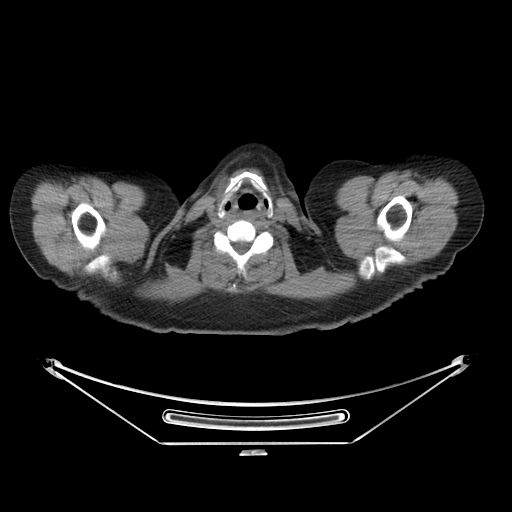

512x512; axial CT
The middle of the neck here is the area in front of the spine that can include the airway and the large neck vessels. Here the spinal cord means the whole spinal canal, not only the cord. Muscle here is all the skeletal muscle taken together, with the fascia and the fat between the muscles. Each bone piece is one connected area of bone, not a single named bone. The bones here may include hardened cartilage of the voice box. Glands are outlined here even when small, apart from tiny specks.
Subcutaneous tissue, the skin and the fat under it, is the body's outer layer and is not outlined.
Outlined structures:
middle of the neck: [[245,178],[247,178],[250,183],[262,196],[266,199],[268,204],[267,207],[267,217],[261,218],[260,219],[259,218],[251,218],[250,219],[245,219],[244,218],[225,219],[223,218],[225,215],[224,205],[229,199],[232,193],[235,192],[240,187],[243,180]]
right arm: [[43,161],[65,161],[79,164],[88,164],[100,170],[105,171],[111,189],[114,194],[118,221],[114,244],[101,259],[90,264],[76,268],[48,271],[33,271],[21,255],[14,241],[9,223],[8,205],[10,194],[12,186],[17,176],[26,167],[34,163]]
bones 1: [[239,219],[244,219],[249,221],[254,225],[258,232],[267,230],[273,236],[273,244],[266,252],[254,254],[248,259],[244,266],[246,270],[245,277],[238,272],[236,262],[232,257],[226,252],[217,251],[213,243],[213,235],[217,230],[224,231],[228,225]]; inner edge: [[237,241],[244,241],[245,242],[251,242],[251,245],[250,246],[250,247],[248,249],[248,250],[247,251],[246,251],[244,253],[242,253],[241,254],[240,253],[238,253],[233,248],[233,247],[232,246],[232,245],[231,244],[231,243],[232,242],[236,242]]
bones 2: [[397,195],[403,195],[411,202],[412,204],[412,215],[411,216],[411,221],[410,222],[410,224],[407,231],[404,234],[403,237],[399,241],[389,241],[386,239],[383,234],[383,232],[381,230],[378,229],[377,225],[376,224],[376,219],[381,209],[393,197]]
bones 3: [[81,202],[88,203],[96,210],[97,210],[97,211],[102,217],[106,227],[105,234],[101,237],[99,244],[92,250],[90,249],[85,249],[78,241],[74,233],[74,230],[73,229],[73,226],[71,221],[71,216],[70,215],[71,211],[79,203]]
bones 4: [[381,245],[388,245],[399,251],[405,257],[405,262],[401,264],[390,265],[383,273],[380,273],[376,271],[371,279],[365,280],[360,277],[358,274],[357,271],[358,270],[358,261],[360,258],[364,255],[370,255],[373,256],[374,255],[375,249]]
bones 5: [[244,171],[248,171],[261,176],[267,187],[267,193],[272,202],[273,211],[270,217],[268,217],[269,204],[267,199],[247,177],[242,180],[239,187],[231,193],[223,205],[223,217],[220,218],[218,216],[218,206],[224,197],[224,191],[229,184],[230,178]]
bones 6: [[101,254],[106,254],[110,256],[111,258],[111,264],[110,266],[112,268],[115,268],[117,270],[117,272],[118,273],[118,275],[116,278],[109,279],[104,277],[102,274],[99,272],[97,272],[96,273],[87,273],[84,271],[84,267],[85,265],[92,259]]
torso: [[339,158],[376,164],[365,203],[384,248],[449,270],[361,321],[280,336],[156,333],[114,321],[34,273],[80,268],[109,252],[119,216],[105,170],[139,167],[182,201],[162,248],[171,262],[210,294],[245,301],[305,272],[319,253],[301,199],[314,173]]
submandibular glands: [[225,173],[226,173],[226,179],[225,180],[225,181],[223,183],[222,183],[220,185],[219,185],[218,186],[217,185],[217,182],[216,181],[216,180],[217,180],[218,179],[218,177],[219,177],[220,176],[221,176],[222,175],[223,175]]
spinal cord: [[237,241],[244,241],[245,242],[251,242],[251,245],[250,246],[250,247],[248,249],[248,250],[247,251],[246,251],[244,253],[242,253],[241,254],[240,253],[238,253],[233,248],[233,247],[232,246],[232,245],[231,244],[231,243],[232,242],[236,242]]
head and neck: [[249,141],[259,141],[270,145],[284,159],[287,165],[288,176],[305,207],[307,217],[317,242],[318,253],[305,271],[286,279],[245,300],[231,301],[210,293],[197,281],[174,264],[163,248],[175,221],[180,204],[195,189],[197,185],[222,156],[235,146]]
left arm: [[423,152],[452,156],[463,161],[474,173],[484,198],[485,210],[481,228],[472,242],[456,254],[454,262],[449,269],[422,265],[406,261],[397,258],[391,254],[375,234],[367,208],[366,198],[368,184],[377,164],[387,161],[397,162],[402,160],[408,154]]
muscle: [[247,151],[262,153],[275,164],[291,201],[320,230],[321,237],[331,243],[337,211],[334,193],[345,180],[406,169],[443,176],[458,191],[458,223],[444,248],[431,259],[394,267],[383,278],[362,282],[329,300],[209,291],[169,303],[136,297],[95,277],[70,277],[49,264],[34,241],[30,194],[39,180],[91,175],[126,181],[147,193],[141,215],[151,231],[142,271],[149,272],[157,265],[169,234],[190,206],[228,161]] with holes at [[244,171],[261,176],[273,211],[270,217],[247,220],[258,232],[267,230],[273,236],[273,244],[266,252],[254,254],[248,259],[244,266],[245,277],[238,272],[232,257],[217,251],[213,243],[214,233],[224,231],[236,220],[220,218],[218,206],[230,178]] and at [[397,195],[403,195],[411,202],[412,204],[412,215],[411,216],[411,221],[410,222],[410,224],[407,231],[404,234],[403,237],[399,241],[389,241],[386,239],[383,234],[383,232],[381,230],[378,229],[377,225],[376,224],[376,219],[381,209],[393,197]] and at [[81,202],[88,203],[96,210],[97,210],[97,211],[102,217],[106,227],[105,234],[101,237],[99,244],[92,250],[90,249],[85,249],[78,241],[74,233],[74,230],[73,229],[73,226],[71,221],[71,216],[70,215],[71,211],[79,203]] and at [[381,245],[388,245],[399,251],[405,257],[405,262],[401,264],[390,265],[383,273],[380,273],[376,271],[371,279],[365,280],[360,277],[358,274],[357,271],[358,270],[358,261],[360,258],[364,255],[370,255],[373,256],[374,255],[375,249]] and at [[101,254],[106,254],[110,256],[111,258],[111,264],[110,266],[112,268],[115,268],[117,270],[117,272],[118,273],[118,275],[116,278],[109,279],[104,277],[102,274],[99,272],[97,272],[96,273],[87,273],[84,271],[84,267],[85,265],[92,259]] and at [[225,173],[226,173],[226,179],[225,180],[225,181],[223,183],[222,183],[220,185],[219,185],[218,186],[217,185],[217,182],[216,181],[216,180],[217,180],[218,179],[218,177],[219,177],[220,176],[221,176],[222,175],[223,175]]